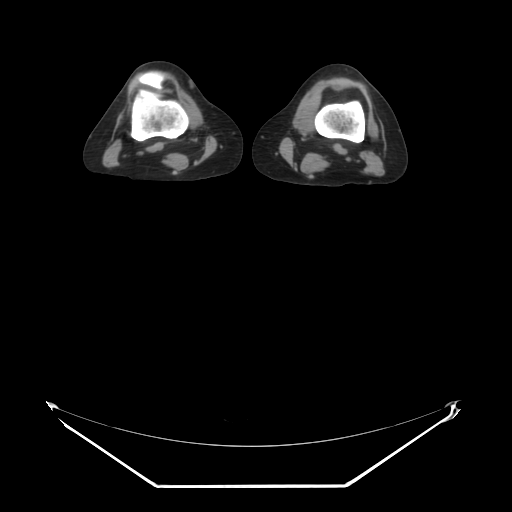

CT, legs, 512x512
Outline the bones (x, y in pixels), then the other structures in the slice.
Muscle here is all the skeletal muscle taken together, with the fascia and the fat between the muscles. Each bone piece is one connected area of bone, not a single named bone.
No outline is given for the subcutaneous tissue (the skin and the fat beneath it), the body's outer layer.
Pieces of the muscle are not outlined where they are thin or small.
{"bones":[[[148,70],[160,70],[167,75],[167,78],[163,83],[164,87],[158,91],[161,94],[160,97],[162,99],[175,99],[183,107],[189,118],[187,129],[176,138],[156,136],[143,141],[137,141],[130,136],[131,108],[134,96],[137,91],[137,81],[141,73]],[[356,98],[358,98],[360,100],[364,110],[364,115],[365,116],[365,133],[364,134],[364,139],[363,141],[359,143],[355,143],[344,139],[327,138],[324,136],[320,135],[316,131],[314,126],[314,117],[316,113],[323,105],[332,102],[345,102]]],"muscle":[{"outer":[[325,75],[341,75],[355,78],[366,86],[383,123],[387,142],[389,168],[387,173],[381,178],[373,179],[359,174],[335,174],[320,175],[315,179],[310,180],[300,174],[292,173],[285,170],[274,161],[273,151],[280,142],[301,98],[316,81]],"hole":[[356,98],[358,98],[360,100],[364,110],[364,115],[365,116],[365,133],[364,134],[364,139],[363,141],[359,143],[355,143],[344,139],[327,138],[324,136],[320,135],[316,131],[314,126],[314,117],[316,113],[323,105],[332,102],[345,102]]},[[143,70],[147,70],[136,81],[131,103],[129,136],[137,142],[176,139],[188,129],[190,118],[184,107],[175,98],[162,98],[159,92],[168,78],[161,70],[165,70],[174,74],[194,99],[221,139],[221,151],[177,176],[149,168],[102,165],[128,85]]],"left_leg":[[[335,62],[346,63],[357,68],[384,96],[393,109],[400,125],[408,152],[408,165],[403,176],[397,181],[385,185],[346,184],[339,187],[321,187],[279,182],[258,172],[254,167],[251,158],[252,142],[258,129],[290,100],[298,87],[310,74],[323,65]]],"right_leg":[[[151,60],[166,60],[180,66],[189,74],[204,96],[209,101],[225,111],[237,124],[243,136],[244,148],[241,161],[233,171],[225,175],[196,181],[146,181],[133,180],[123,176],[92,173],[85,168],[82,161],[82,149],[89,133],[130,73],[138,65]]]}